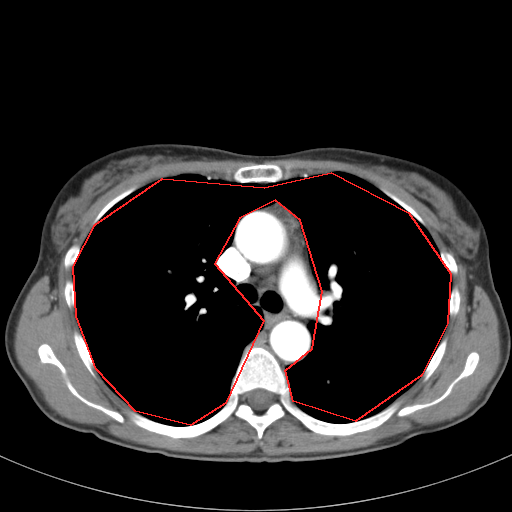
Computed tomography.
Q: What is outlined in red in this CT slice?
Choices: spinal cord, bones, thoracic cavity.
A: red: thoracic cavity.
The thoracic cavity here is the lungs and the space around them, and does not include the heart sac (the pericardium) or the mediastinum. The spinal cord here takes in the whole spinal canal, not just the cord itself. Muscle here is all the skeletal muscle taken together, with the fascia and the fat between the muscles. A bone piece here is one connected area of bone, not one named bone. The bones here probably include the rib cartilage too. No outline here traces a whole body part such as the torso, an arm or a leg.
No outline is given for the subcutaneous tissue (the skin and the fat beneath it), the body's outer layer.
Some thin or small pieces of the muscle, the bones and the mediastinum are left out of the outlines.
thoracic cavity: [[331,172],[408,212],[450,273],[447,323],[421,375],[355,421],[293,401],[285,370],[312,348],[322,291],[300,220],[275,200],[239,218],[214,263],[263,320],[225,403],[190,425],[135,411],[96,369],[76,316],[73,266],[95,224],[162,178],[264,187]]
spinal cord: [[258,388],[260,389],[263,389],[264,390],[266,390],[270,392],[273,396],[273,401],[272,403],[265,410],[263,411],[257,411],[253,409],[247,403],[246,401],[246,394],[248,392],[254,389],[257,389]]
bones 1: [[252,341],[274,356],[300,409],[339,424],[370,417],[397,400],[400,408],[429,402],[460,374],[472,351],[479,360],[439,402],[353,434],[316,433],[286,412],[261,439],[234,414],[200,435],[173,438],[138,426],[127,411],[171,426],[208,419],[226,403]]; inner edge: [[258,388],[260,389],[263,389],[264,390],[266,390],[270,392],[273,396],[273,401],[272,403],[265,410],[263,411],[257,411],[253,409],[247,403],[246,401],[246,394],[248,392],[254,389],[257,389]]
bones 2: [[287,163],[292,163],[293,164],[293,167],[291,169],[293,173],[293,176],[286,179],[282,179],[273,182],[238,182],[233,180],[225,179],[227,171],[229,171],[231,174],[238,168],[243,166],[253,165],[254,164],[275,164],[281,168],[283,168]]
bones 3: [[43,343],[46,343],[51,347],[56,357],[64,366],[72,385],[83,397],[96,404],[119,412],[124,417],[124,421],[122,423],[119,422],[101,410],[86,404],[75,396],[66,385],[60,369],[54,364],[43,363],[40,360],[37,350],[38,347]]
bones 4: [[75,330],[78,330],[80,332],[84,340],[84,342],[87,347],[87,349],[93,360],[93,362],[95,366],[95,369],[96,370],[96,378],[95,378],[90,373],[84,364],[83,361],[81,359],[77,351],[77,349],[74,342],[74,339],[73,338],[73,333]]
bones 5: [[444,337],[446,337],[447,338],[447,344],[446,345],[446,348],[445,349],[444,354],[437,367],[434,370],[434,371],[428,378],[428,379],[425,381],[422,381],[420,379],[420,377],[422,375],[424,370],[429,363],[432,356],[434,354],[441,340]]
bones 6: [[134,186],[135,186],[137,188],[134,191],[133,191],[131,193],[130,193],[128,195],[118,201],[115,204],[114,204],[94,224],[94,225],[92,225],[92,223],[96,216],[103,208],[103,207],[109,201],[110,201],[113,198],[114,198],[122,192]]
bones 7: [[382,188],[383,189],[385,189],[389,191],[391,193],[395,195],[398,198],[399,198],[401,200],[405,202],[408,205],[412,207],[424,221],[425,223],[425,225],[423,225],[408,211],[407,211],[393,199],[392,199],[384,192],[383,192],[381,190]]
bones 8: [[74,244],[79,244],[80,245],[80,249],[79,250],[79,253],[72,267],[70,267],[67,269],[64,265],[64,259],[65,258],[65,255],[66,254],[66,252],[67,250],[72,245]]
bones 9: [[442,249],[448,252],[450,252],[452,254],[455,260],[456,265],[457,266],[457,272],[456,274],[452,274],[448,270],[448,269],[443,263],[442,261],[442,259],[441,258],[441,256],[440,255],[440,250]]
muscle: [[288,158],[309,158],[310,159],[335,160],[353,164],[359,164],[366,167],[374,167],[386,179],[400,187],[423,203],[436,216],[441,224],[443,230],[442,237],[445,243],[453,249],[458,258],[465,266],[469,298],[470,299],[472,297],[474,286],[475,285],[481,286],[489,297],[495,309],[499,322],[499,333],[501,341],[501,359],[494,375],[477,400],[467,410],[450,419],[429,425],[418,426],[408,431],[382,438],[375,443],[367,446],[337,451],[290,453],[279,455],[268,455],[263,453],[260,449],[256,449],[248,453],[208,454],[207,453],[175,451],[160,447],[153,447],[120,438],[95,425],[79,423],[70,420],[53,410],[46,403],[41,392],[19,364],[14,350],[14,333],[17,321],[21,312],[22,304],[27,293],[34,283],[42,276],[47,274],[50,278],[51,286],[52,287],[56,284],[58,265],[62,253],[72,234],[72,230],[82,213],[100,196],[122,181],[126,180],[156,164],[166,163],[174,160],[188,161],[189,160],[203,160],[204,159],[209,160],[233,159],[261,163],[268,160],[278,160]]; inner edges: [[287,163],[293,164],[294,176],[344,172],[389,191],[416,211],[438,250],[450,252],[455,260],[457,272],[450,274],[451,286],[457,286],[460,301],[442,335],[447,338],[444,354],[427,380],[419,377],[396,399],[399,407],[440,396],[472,351],[479,355],[475,369],[439,402],[404,416],[394,413],[377,427],[349,435],[316,433],[288,412],[273,421],[261,439],[247,421],[234,414],[189,438],[138,426],[127,413],[133,409],[97,370],[96,378],[90,373],[77,351],[73,333],[80,328],[64,294],[66,281],[73,279],[73,268],[64,265],[67,250],[74,244],[81,246],[103,207],[131,187],[139,189],[181,174],[218,173],[224,179],[227,171],[231,174],[243,166],[283,168]], then [[43,343],[46,343],[51,347],[56,357],[64,366],[72,385],[83,397],[96,404],[119,412],[124,417],[124,421],[122,423],[119,422],[101,410],[86,404],[75,396],[66,385],[60,369],[54,364],[43,363],[40,360],[37,350],[38,347]]
mediastinum: [[275,201],[287,207],[299,220],[312,272],[321,291],[321,311],[317,320],[307,325],[311,348],[303,359],[288,364],[284,371],[275,356],[253,340],[263,327],[262,311],[255,305],[240,303],[244,286],[234,288],[234,281],[215,264],[231,243],[240,218]]